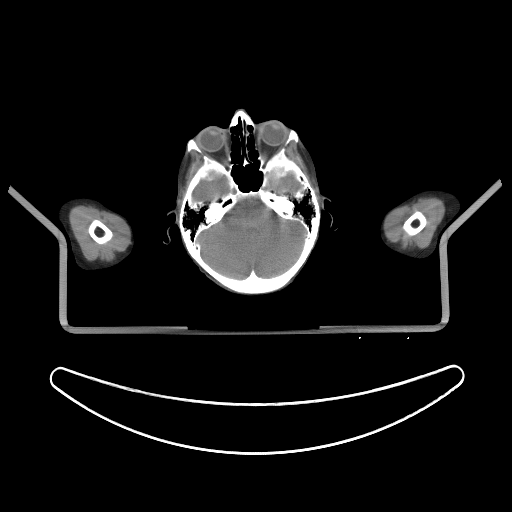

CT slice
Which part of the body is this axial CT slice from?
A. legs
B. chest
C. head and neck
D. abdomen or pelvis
Answer: C. head and neck
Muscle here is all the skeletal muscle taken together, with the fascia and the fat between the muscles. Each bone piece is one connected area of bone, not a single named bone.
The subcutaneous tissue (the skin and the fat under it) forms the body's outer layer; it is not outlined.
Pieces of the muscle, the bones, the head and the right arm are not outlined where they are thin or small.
Outlines (x, y in pixels):
muscle 1: (76, 205) (93, 205) (100, 210) (104, 210) (117, 215) (126, 223) (130, 232) (130, 243) (123, 252) (121, 252) (117, 255) (115, 259) (108, 262) (101, 261) (100, 260) (89, 261) (83, 256) (80, 247) (74, 237) (73, 232) (70, 227) (69, 219) (68, 218) (70, 209) with a hole at (94, 219) (98, 219) (99, 220) (100, 220) (108, 228) (109, 228) (110, 229) (110, 230) (112, 232) (112, 237) (108, 241) (107, 241) (105, 243) (104, 243) (103, 244) (100, 244) (99, 243) (96, 242) (90, 236) (90, 235) (88, 232) (88, 227) (89, 226) (90, 223)
muscle 2: (420, 197) (437, 197) (443, 200) (446, 207) (446, 211) (444, 217) (438, 225) (431, 240) (431, 242) (427, 247) (425, 248) (402, 249) (400, 248) (396, 243) (390, 242) (386, 238) (384, 234) (384, 223) (385, 220) (388, 215) (393, 210) (403, 205) (410, 204) (416, 201), around a hole outlined by (417, 210) (420, 211) (425, 216) (425, 217) (427, 220) (427, 223) (425, 225) (425, 226) (419, 232) (418, 232) (414, 235) (409, 235) (404, 231) (404, 230) (402, 228) (402, 226) (403, 225) (404, 222) (406, 220) (406, 219) (409, 216) (410, 216) (415, 211) (416, 211)
muscle 3: (192, 150) (194, 150) (202, 155) (202, 163) (197, 168) (187, 183) (187, 185) (185, 188) (185, 191) (181, 200) (180, 207) (179, 207) (180, 185) (182, 181) (182, 178) (184, 175) (184, 172) (186, 169) (186, 165) (188, 163) (188, 159) (190, 157) (189, 153)
muscle 4: (291, 141) (293, 141) (295, 143) (297, 143) (298, 149) (302, 154) (307, 165) (309, 167) (309, 169) (314, 178) (315, 187) (319, 198) (319, 202) (317, 195) (315, 192) (315, 190) (312, 186) (307, 175) (301, 169) (297, 163) (294, 160) (291, 159) (286, 154) (286, 147)
right arm: (76, 197) (89, 197) (98, 200) (104, 205) (125, 216) (129, 221) (134, 235) (133, 249) (131, 253) (117, 265) (106, 269) (85, 270) (80, 268) (76, 264) (70, 244) (66, 235) (63, 232) (64, 231) (63, 226) (59, 221) (57, 215) (58, 209) (62, 203) (71, 198)
brain 1: (249, 198) (258, 199) (267, 209) (283, 220) (298, 222) (303, 228) (303, 243) (299, 254) (296, 259) (280, 273) (271, 276) (262, 276) (251, 269) (244, 277) (234, 277) (218, 271) (212, 267) (202, 256) (201, 244) (198, 239) (200, 234) (220, 222) (225, 215) (240, 201)
brain 2: (216, 176) (223, 178) (223, 179) (225, 181) (225, 183) (227, 187) (226, 191) (223, 193) (215, 195) (208, 201) (205, 201) (203, 199) (195, 199) (193, 197) (193, 192) (196, 188) (196, 187) (199, 184) (199, 183) (202, 180) (207, 180) (208, 181) (211, 181)
brain 3: (289, 174) (291, 174) (292, 175) (295, 181) (299, 185) (299, 186) (291, 193) (291, 195) (289, 195) (287, 193) (286, 191) (287, 190) (286, 189) (284, 189) (283, 188) (278, 192) (268, 187) (270, 179) (279, 180) (282, 178) (286, 177)
bones 1: (283, 147) (306, 175) (319, 203) (317, 239) (305, 263) (283, 287) (266, 293) (236, 292) (220, 284) (187, 251) (178, 223) (182, 200) (188, 183) (203, 163) (203, 155) (223, 163) (231, 151) (232, 175) (242, 190) (248, 190) (257, 188) (262, 179) (256, 151) (269, 158), around holes outlined by (249, 198) (258, 199) (267, 209) (283, 220) (298, 222) (303, 228) (303, 243) (299, 254) (296, 259) (280, 273) (271, 276) (262, 276) (251, 269) (244, 277) (234, 277) (218, 271) (212, 267) (202, 256) (201, 244) (198, 239) (200, 234) (220, 222) (225, 215) (240, 201) and by (216, 176) (223, 178) (223, 179) (225, 181) (225, 183) (227, 187) (226, 191) (223, 193) (215, 195) (208, 201) (205, 201) (203, 199) (195, 199) (193, 197) (193, 192) (196, 188) (196, 187) (199, 184) (199, 183) (202, 180) (207, 180) (208, 181) (211, 181) and by (289, 174) (291, 174) (292, 175) (295, 181) (299, 185) (299, 186) (291, 193) (291, 195) (289, 195) (287, 193) (286, 191) (287, 190) (286, 189) (284, 189) (283, 188) (278, 192) (268, 187) (270, 179) (279, 180) (282, 178) (286, 177)
bones 2: (240, 109) (245, 111) (256, 125) (254, 137) (251, 135) (249, 136) (247, 145) (249, 150) (248, 156) (251, 160) (251, 163) (244, 167) (241, 164) (244, 144) (236, 137) (236, 133) (240, 131) (241, 126) (239, 124) (230, 128) (232, 133) (231, 137) (227, 127) (235, 111)
bones 3: (94, 219) (98, 219) (99, 220) (100, 220) (108, 228) (109, 228) (110, 229) (110, 230) (112, 232) (112, 237) (108, 241) (107, 241) (105, 243) (104, 243) (103, 244) (100, 244) (99, 243) (96, 242) (90, 236) (90, 235) (88, 232) (88, 227) (89, 226) (90, 223)
bones 4: (417, 210) (420, 211) (425, 216) (425, 217) (427, 220) (427, 223) (425, 225) (425, 226) (419, 232) (418, 232) (414, 235) (409, 235) (404, 231) (404, 230) (402, 228) (402, 226) (403, 225) (404, 222) (406, 220) (406, 219) (409, 216) (410, 216) (415, 211) (416, 211)
bones 5: (190, 138) (192, 138) (195, 141) (195, 142) (197, 144) (198, 147) (200, 149) (201, 152) (199, 152) (198, 151) (197, 151) (194, 149) (192, 149) (189, 152) (188, 152) (187, 151) (187, 146) (186, 145) (187, 144) (187, 142) (188, 141) (188, 140)
bones 6: (291, 129) (293, 129) (294, 130) (295, 130) (295, 131) (297, 133) (297, 134) (298, 135) (298, 142) (295, 142) (293, 140) (291, 140) (287, 144) (285, 144) (285, 143) (286, 142) (286, 140) (287, 139) (287, 138) (288, 137) (288, 134) (289, 133) (289, 131)
left arm: (431, 188) (443, 189) (455, 194) (461, 203) (460, 211) (451, 219) (449, 226) (442, 232) (438, 241) (439, 247) (438, 248) (437, 247) (428, 257) (423, 259) (414, 259) (399, 253) (396, 253) (388, 248) (382, 242) (380, 238) (379, 228) (384, 214) (390, 208) (416, 192)
head: (238, 108) (255, 123) (276, 119) (295, 130) (321, 193) (331, 200) (324, 205) (337, 228) (330, 229) (330, 216) (322, 212) (319, 239) (301, 273) (283, 293) (267, 297) (236, 297) (210, 285) (176, 225) (170, 243) (163, 242) (188, 140) (209, 125) (226, 128) with a hole at (239, 125) (240, 129) (235, 133) (235, 137) (243, 144) (240, 164) (244, 168) (252, 163) (248, 146) (250, 136) (253, 138) (254, 150) (257, 153) (257, 170) (261, 174) (261, 179) (255, 188) (242, 189) (233, 175) (234, 163) (231, 154) (233, 133) (231, 128)